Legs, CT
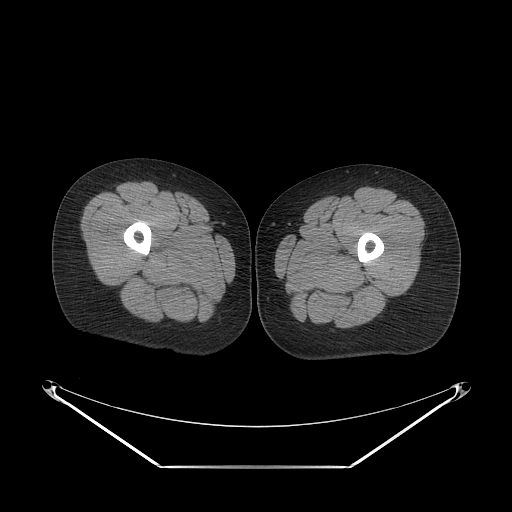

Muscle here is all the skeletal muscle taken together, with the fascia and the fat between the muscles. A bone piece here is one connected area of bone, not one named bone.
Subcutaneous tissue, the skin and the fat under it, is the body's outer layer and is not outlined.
{"left_leg":[[[364,163],[391,166],[416,175],[433,187],[448,206],[455,222],[461,248],[460,287],[454,315],[441,339],[429,349],[419,353],[409,355],[381,354],[331,360],[298,359],[284,352],[269,338],[258,315],[255,241],[259,222],[269,205],[294,184],[331,168]]],"right_leg":[[[133,157],[147,157],[173,162],[208,177],[221,186],[237,202],[247,220],[251,242],[251,315],[239,337],[221,351],[206,356],[184,355],[167,349],[151,349],[85,333],[72,327],[60,309],[51,270],[52,232],[60,202],[68,188],[85,172],[109,161]]],"bones":[[[139,221],[144,223],[150,229],[151,229],[151,232],[152,233],[152,240],[151,241],[150,250],[149,251],[149,253],[147,255],[144,255],[143,254],[138,253],[132,250],[126,245],[126,244],[123,240],[123,232],[124,230],[132,223],[134,222],[138,222]],[[367,231],[370,231],[371,232],[373,232],[377,235],[378,235],[381,238],[384,244],[384,250],[381,254],[381,255],[380,255],[377,258],[372,260],[369,263],[365,264],[359,261],[358,259],[358,257],[357,256],[357,242],[358,241],[359,237],[363,233]]],"muscle":[{"outer":[[133,180],[151,180],[163,186],[185,192],[198,199],[211,213],[233,249],[235,276],[223,296],[215,315],[200,328],[170,329],[165,331],[144,323],[131,315],[123,307],[119,299],[97,279],[91,268],[79,227],[82,210],[91,197],[105,190],[111,184]],"hole":[[139,221],[144,223],[150,229],[151,229],[151,232],[152,233],[152,240],[151,241],[150,250],[149,251],[149,253],[147,255],[144,255],[143,254],[138,253],[132,250],[126,245],[126,244],[123,240],[123,232],[124,230],[132,223],[134,222],[138,222]]},{"outer":[[367,185],[390,189],[400,197],[409,200],[420,211],[425,222],[426,234],[421,250],[419,270],[407,293],[393,298],[376,321],[343,334],[314,333],[304,329],[291,315],[281,284],[274,271],[275,251],[282,238],[301,219],[305,210],[312,203],[327,195]],"hole":[[367,231],[370,231],[371,232],[373,232],[377,235],[378,235],[381,238],[384,244],[384,250],[381,254],[381,255],[380,255],[377,258],[372,260],[369,263],[365,264],[359,261],[358,259],[358,257],[357,256],[357,242],[358,241],[359,237],[363,233]]}]}